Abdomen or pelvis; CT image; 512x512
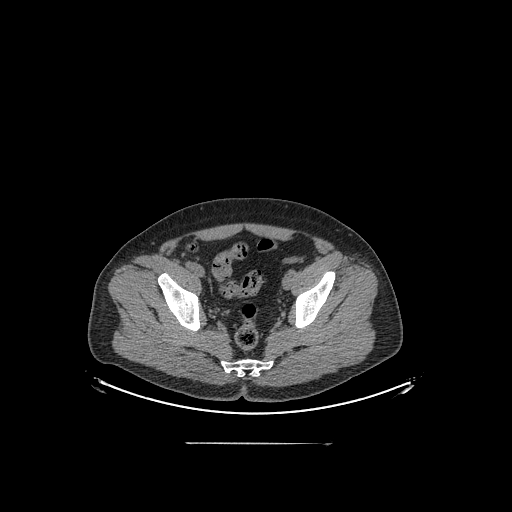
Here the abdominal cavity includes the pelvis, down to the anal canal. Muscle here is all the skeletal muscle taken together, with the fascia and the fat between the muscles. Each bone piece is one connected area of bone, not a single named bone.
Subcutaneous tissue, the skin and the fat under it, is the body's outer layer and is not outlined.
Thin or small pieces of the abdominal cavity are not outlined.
The torso is outlined by 224,197 273,197 305,203 355,230 373,248 393,286 403,325 400,349 380,364 331,389 284,402 251,402 242,396 235,401 194,398 161,388 95,359 87,342 87,324 94,284 102,268 125,242 164,216 194,203. The muscle is outlined by 240,222 306,231 346,254 357,254 372,267 378,281 370,316 375,341 364,360 317,379 287,386 260,386 248,380 214,385 167,374 113,350 111,341 120,319 107,287 115,269 134,256 155,252 164,241 183,233, around a hole outlined by 242,230 280,240 299,234 313,241 322,255 293,274 289,287 294,297 314,286 326,271 334,271 335,279 312,322 296,327 293,304 288,324 267,336 259,358 272,359 273,365 258,376 239,377 235,370 225,372 220,363 237,359 229,335 208,325 200,302 199,329 182,326 169,309 157,278 165,272 199,296 202,284 198,276 169,255 188,236 211,241. The bones appear in 3 outlined pieces: piece 1: 164,272 167,273 180,286 189,291 195,293 198,296 198,299 199,300 199,322 200,323 200,327 199,329 196,331 188,329 182,326 169,309 166,303 165,298 163,295 162,290 157,282 157,278 158,276 161,273; piece 2: 326,271 334,271 335,272 335,279 332,288 330,290 325,302 320,308 317,313 316,317 312,322 302,328 296,327 295,326 295,306 294,305 294,302 296,297 300,293 314,286 320,280 322,277 322,275 324,272; piece 3: 242,358 253,358 265,361 272,359 273,360 273,365 269,369 261,370 259,372 258,376 249,376 246,375 244,377 239,377 237,376 237,372 235,370 232,370 228,373 225,372 220,363 220,360 234,361. The abdominal cavity is outlined by 242,230 280,240 295,234 303,235 311,239 322,254 293,274 289,287 295,298 288,313 288,324 267,336 259,358 236,358 229,335 207,323 199,299 202,291 200,279 175,258 169,257 177,243 188,236 211,241.